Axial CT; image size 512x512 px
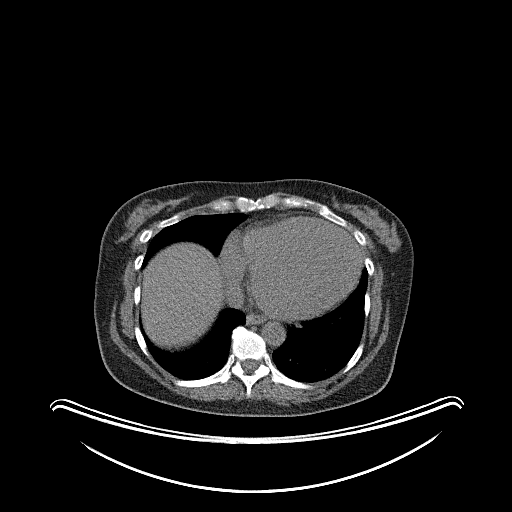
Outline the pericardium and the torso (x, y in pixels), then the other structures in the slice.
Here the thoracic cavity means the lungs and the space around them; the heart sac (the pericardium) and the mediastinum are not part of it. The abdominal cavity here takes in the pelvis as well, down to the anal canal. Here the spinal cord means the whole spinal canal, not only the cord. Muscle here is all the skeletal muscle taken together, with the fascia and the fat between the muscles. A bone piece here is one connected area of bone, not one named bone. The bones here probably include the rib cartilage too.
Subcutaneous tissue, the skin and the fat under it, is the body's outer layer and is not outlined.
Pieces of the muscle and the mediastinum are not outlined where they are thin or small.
{"pericardium":[[[290,212],[319,216],[345,228],[351,233],[361,249],[363,265],[356,287],[334,309],[313,318],[284,322],[267,317],[253,306],[243,289],[235,285],[228,285],[220,268],[220,264],[218,263],[218,256],[230,232],[242,224],[245,224],[248,220],[271,214]]],"torso":[[[284,178],[321,180],[369,195],[392,211],[409,233],[414,255],[411,293],[393,371],[386,385],[364,400],[318,413],[289,417],[247,417],[177,407],[140,395],[116,381],[102,361],[93,316],[100,241],[115,211],[131,197],[168,184],[195,180],[253,182]]],"spinal_cord":[[[247,359],[252,359],[253,360],[254,360],[255,361],[256,361],[257,362],[257,363],[258,364],[257,365],[257,367],[251,373],[247,373],[243,369],[243,368],[242,367],[242,362],[243,361],[244,361],[245,360],[246,360]]],"abdominal_cavity":[[[182,241],[200,244],[214,256],[217,256],[217,263],[219,264],[219,268],[227,284],[227,294],[225,298],[227,300],[225,301],[225,307],[219,312],[211,329],[199,342],[183,351],[170,352],[154,345],[140,324],[140,269],[146,265],[158,250],[169,244]]],"muscle":[[[142,230],[138,242],[147,243],[146,249],[133,260],[133,268],[139,270],[139,284],[133,289],[134,304],[139,305],[139,325],[133,328],[134,336],[147,357],[150,354],[177,378],[172,380],[176,386],[196,388],[224,384],[235,376],[243,383],[245,396],[249,398],[253,385],[269,375],[275,384],[311,390],[314,386],[310,383],[327,379],[342,369],[344,374],[352,368],[365,347],[361,338],[364,321],[370,311],[368,278],[375,270],[373,260],[369,256],[364,258],[362,253],[360,246],[365,246],[367,240],[360,230],[373,242],[382,266],[383,285],[389,301],[387,337],[359,375],[321,399],[279,405],[265,399],[204,401],[177,394],[126,356],[109,333],[110,315],[130,246]],[[225,195],[237,195],[232,199],[227,198],[226,199],[214,200],[209,205],[210,209],[214,212],[211,213],[204,213],[203,214],[194,214],[193,215],[190,215],[185,218],[183,218],[183,214],[181,212],[178,212],[190,207],[207,203],[214,199]],[[158,220],[161,220],[160,220],[157,223],[157,224],[156,225],[156,228],[157,229],[157,230],[158,231],[156,233],[155,233],[154,234],[154,230],[151,227],[148,227],[148,226],[150,224],[151,224],[153,222],[154,222],[155,221],[157,221]],[[346,220],[347,220],[349,222],[350,222],[351,223],[352,223],[354,225],[355,225],[359,229],[358,229],[357,228],[354,228],[351,231],[351,232],[350,232],[347,229],[346,229],[349,229],[350,228],[350,227],[349,226],[349,225],[348,224],[348,222]]],"bones":[{"outer":[[239,325],[263,339],[272,362],[283,374],[296,381],[309,383],[313,388],[295,388],[275,383],[269,374],[252,385],[249,397],[246,396],[244,383],[235,375],[224,383],[216,382],[196,387],[174,384],[175,379],[201,379],[218,371],[231,352],[232,330]],"hole":[[247,359],[252,359],[253,360],[254,360],[255,361],[256,361],[257,362],[257,363],[258,364],[257,365],[257,367],[251,373],[247,373],[243,369],[243,368],[242,367],[242,362],[243,361],[244,361],[245,360],[246,360]]},[[271,193],[282,197],[293,196],[307,198],[324,204],[334,213],[343,218],[347,222],[349,228],[326,219],[310,208],[303,207],[283,207],[279,205],[276,207],[255,209],[245,212],[237,210],[215,212],[210,207],[214,201],[232,200],[237,196],[256,198]],[[361,342],[362,342],[364,344],[364,347],[363,348],[363,350],[362,351],[362,353],[360,357],[358,359],[356,363],[352,367],[351,367],[346,372],[344,373],[342,371],[343,370],[343,368],[346,365],[346,364],[348,362],[348,361],[358,347],[359,344]],[[176,213],[181,213],[182,214],[182,219],[181,220],[180,220],[176,223],[174,223],[171,225],[166,226],[165,227],[158,230],[158,229],[157,228],[157,225],[160,221],[161,221],[166,218],[168,218],[169,217],[172,216]],[[135,326],[139,326],[140,328],[140,330],[143,335],[143,337],[144,338],[144,340],[146,344],[146,347],[147,348],[147,350],[149,353],[149,355],[148,356],[147,356],[142,351],[142,350],[140,348],[136,340],[136,337],[135,336],[135,330],[134,329]],[[148,228],[151,228],[153,230],[153,235],[149,239],[149,240],[147,242],[146,242],[145,243],[141,243],[140,242],[139,242],[139,238],[140,237],[140,235],[142,233],[142,232],[145,229],[147,229]],[[354,229],[357,229],[358,230],[359,230],[363,234],[363,235],[365,237],[365,239],[366,240],[366,244],[365,245],[364,245],[363,246],[362,246],[361,245],[360,245],[358,243],[358,242],[356,240],[356,239],[354,237],[354,236],[352,234],[352,231]],[[365,257],[369,257],[372,260],[372,261],[373,262],[373,266],[374,267],[374,270],[373,271],[373,273],[372,274],[372,275],[370,275],[369,276],[369,275],[368,274],[368,272],[367,271],[367,269],[365,267],[365,265],[364,264],[364,259],[365,258]],[[139,254],[144,254],[144,256],[143,257],[143,259],[142,260],[142,263],[141,264],[141,267],[138,270],[136,270],[134,268],[134,260],[135,259],[135,258],[136,257],[136,256],[137,255],[138,255]],[[367,291],[368,292],[368,293],[369,294],[369,311],[368,312],[368,314],[367,315],[367,316],[366,317],[365,317],[365,312],[364,311],[364,306],[365,305],[365,293]],[[137,285],[139,285],[139,286],[140,287],[140,295],[139,296],[139,303],[137,305],[136,304],[135,304],[135,302],[134,301],[134,289],[135,288],[135,287]]],"mediastinum":[[[228,286],[235,286],[243,290],[245,292],[247,300],[252,306],[267,318],[283,322],[286,329],[285,340],[270,354],[267,350],[266,342],[264,339],[258,333],[244,326],[246,322],[245,314],[239,309],[226,307],[226,301],[228,300],[226,299],[228,294]],[[277,207],[309,209],[319,215],[311,213],[297,212],[296,211],[292,211],[291,212],[290,211],[282,213],[271,213],[259,217],[250,218],[245,223],[242,223],[241,225],[236,227],[246,218],[246,215],[244,213],[246,212],[251,212],[255,210],[270,209]]],"thoracic_cavity":[[[364,265],[368,277],[366,291],[364,293],[363,328],[360,342],[345,365],[329,377],[311,382],[304,382],[296,380],[283,373],[273,362],[271,354],[286,340],[287,329],[284,323],[301,322],[305,320],[313,319],[320,317],[334,310],[357,287],[362,268]],[[225,308],[233,308],[241,311],[245,316],[245,322],[243,325],[239,324],[231,330],[230,352],[225,363],[215,372],[201,378],[178,378],[162,367],[149,352],[140,325],[145,335],[158,349],[170,353],[183,352],[195,346],[208,334],[218,319],[220,312]],[[228,212],[243,213],[245,215],[245,218],[236,225],[226,236],[218,255],[216,256],[214,255],[205,246],[195,241],[188,240],[175,241],[158,249],[149,258],[145,265],[142,267],[148,242],[160,230],[176,224],[183,219],[190,216],[212,213],[227,213]]]}